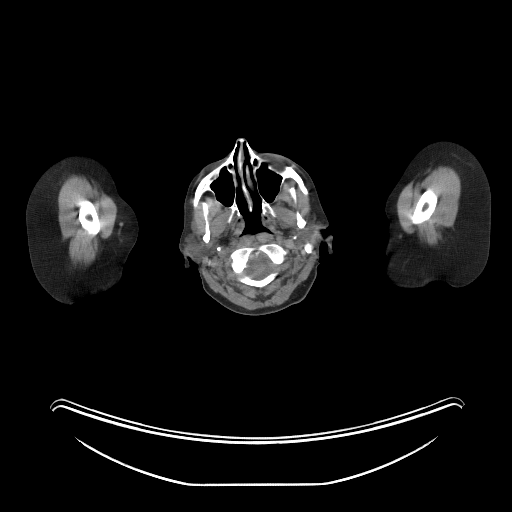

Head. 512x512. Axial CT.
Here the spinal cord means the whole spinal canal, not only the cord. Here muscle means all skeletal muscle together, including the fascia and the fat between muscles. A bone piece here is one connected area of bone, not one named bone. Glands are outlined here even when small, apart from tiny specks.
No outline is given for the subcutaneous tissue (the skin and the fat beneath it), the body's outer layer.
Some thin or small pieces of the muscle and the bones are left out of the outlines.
brain: [[261,254],[263,254],[264,255],[265,255],[266,256],[266,257],[270,261],[270,262],[271,263],[271,264],[273,266],[273,267],[271,270],[269,267],[250,267],[250,266],[249,265],[248,266],[248,267],[248,263],[249,262],[249,260],[252,258],[257,258]]
parotid glands 1: [[190,230],[194,230],[196,232],[196,233],[198,236],[199,241],[201,244],[201,253],[200,254],[199,257],[198,257],[196,255],[195,255],[192,253],[188,253],[184,249],[184,239],[185,238],[186,235],[188,233],[188,232],[189,232],[190,231]]
parotid glands 2: [[311,213],[315,213],[318,216],[318,221],[319,222],[320,222],[320,223],[321,224],[320,225],[320,226],[318,228],[318,229],[317,230],[317,232],[316,233],[316,234],[315,235],[315,238],[314,237],[313,237],[310,234],[310,233],[308,231],[308,216]]
bones 1: [[240,138],[268,163],[278,168],[291,166],[302,178],[308,195],[297,188],[294,202],[286,188],[296,184],[287,179],[280,189],[281,177],[263,163],[256,172],[257,191],[256,187],[249,190],[252,202],[250,211],[241,188],[235,188],[232,176],[223,167],[211,184],[215,197],[223,205],[213,204],[208,208],[210,238],[206,243],[202,239],[205,231],[203,210],[200,202],[195,209],[193,207],[194,192],[201,179],[224,161]]; inner edges: [[244,146],[246,146],[246,148],[247,149],[247,151],[248,152],[248,156],[249,157],[249,158],[248,159],[248,163],[247,164],[246,164],[245,163],[245,155],[244,154]], then [[207,192],[208,192],[209,193],[210,193],[213,196],[212,196],[211,197],[209,197],[208,198],[207,198],[205,200],[203,200],[202,201],[201,201],[201,198],[203,196],[203,195],[205,193],[206,193]]
bones 2: [[265,243],[276,243],[287,250],[287,253],[284,257],[283,262],[277,267],[278,274],[269,283],[262,287],[256,287],[239,281],[238,280],[238,275],[232,270],[230,266],[230,259],[229,258],[229,255],[234,250],[238,248],[244,246],[254,246],[255,247]]; inner edge: [[261,254],[263,254],[266,256],[266,257],[270,261],[273,267],[272,269],[265,276],[264,276],[262,278],[260,278],[259,279],[256,279],[248,275],[245,272],[245,269],[248,266],[248,263],[250,259],[252,258],[257,258]]
bones 3: [[429,187],[432,188],[437,194],[437,202],[436,203],[435,208],[434,209],[432,214],[430,216],[429,219],[424,221],[420,224],[413,224],[408,218],[408,214],[411,213],[413,211],[413,210],[415,207],[415,205],[416,204],[420,195],[427,188],[428,188]]
bones 4: [[81,198],[87,199],[93,203],[96,208],[96,211],[97,212],[98,218],[100,220],[101,223],[103,224],[99,232],[96,235],[94,235],[93,236],[89,235],[85,231],[85,230],[83,228],[82,228],[81,224],[78,220],[79,208],[76,204],[76,202]]
bones 5: [[259,193],[264,198],[264,199],[267,202],[270,202],[271,203],[271,205],[272,206],[272,207],[276,214],[276,215],[274,217],[273,216],[272,216],[268,212],[264,216],[262,216],[261,215],[261,211],[262,210],[261,209],[261,199],[259,196]]
bones 6: [[235,193],[236,193],[236,202],[238,205],[239,211],[241,214],[242,218],[239,218],[236,215],[234,215],[231,221],[230,222],[228,222],[227,221],[227,219],[230,212],[230,210],[228,207],[232,204],[233,200],[234,199],[234,197],[235,196]]
bones 7: [[296,211],[298,211],[300,213],[300,214],[302,216],[302,217],[306,221],[306,224],[304,226],[304,227],[303,228],[299,228],[297,226],[297,220],[296,219],[296,215],[295,214],[296,213]]
right arm: [[76,153],[90,155],[99,160],[107,168],[115,182],[118,193],[131,206],[136,215],[138,233],[135,244],[123,266],[121,279],[113,288],[99,295],[87,297],[71,305],[65,305],[50,296],[34,275],[28,252],[25,211],[30,192],[41,174],[58,159]]
left arm: [[438,140],[455,141],[468,148],[479,160],[486,173],[491,192],[489,255],[481,274],[468,285],[453,287],[443,281],[434,281],[423,288],[404,289],[391,283],[384,272],[384,264],[387,260],[384,246],[387,240],[388,227],[385,203],[416,153],[427,144]]
head: [[238,138],[245,139],[254,151],[281,154],[306,170],[328,220],[322,232],[332,235],[331,254],[325,242],[319,247],[317,274],[306,296],[280,311],[257,316],[233,312],[208,295],[197,264],[189,259],[186,268],[178,247],[189,183],[205,165],[227,156]]; inner edges: [[263,164],[280,177],[279,190],[271,202],[258,193],[261,223],[268,231],[244,233],[245,223],[237,193],[234,193],[231,204],[226,206],[216,197],[212,184],[225,168],[234,188],[240,188],[251,212],[253,202],[250,190],[256,188],[258,191],[257,172]], then [[244,146],[246,146],[246,148],[247,149],[247,151],[248,152],[248,156],[249,157],[249,158],[248,159],[248,163],[247,164],[246,164],[245,163],[245,155],[244,154]]
muscle 1: [[292,166],[308,184],[315,212],[307,216],[307,231],[315,239],[313,267],[281,305],[244,309],[214,292],[205,280],[199,259],[202,244],[197,232],[190,229],[190,197],[193,192],[195,210],[200,203],[204,220],[201,239],[206,244],[211,238],[209,208],[213,205],[228,208],[228,223],[234,216],[242,219],[244,234],[268,232],[262,217],[277,215],[272,202],[287,180],[295,184],[285,188],[294,203],[297,189],[309,195]], around holes outlined by [[265,243],[276,243],[287,250],[287,253],[284,257],[283,262],[277,267],[278,274],[269,283],[262,287],[256,287],[239,281],[238,280],[238,275],[232,270],[230,266],[230,259],[229,258],[229,255],[234,250],[238,248],[244,246],[254,246],[255,247]] and by [[296,211],[298,211],[300,213],[300,214],[302,216],[302,217],[306,221],[306,224],[304,226],[304,227],[303,228],[299,228],[297,226],[297,220],[296,219],[296,215],[295,214],[296,213]] and by [[306,242],[309,242],[310,243],[311,243],[312,244],[312,245],[313,246],[313,248],[312,249],[312,251],[310,253],[307,253],[305,251],[304,251],[304,244]]
muscle 2: [[72,173],[82,174],[89,180],[93,179],[99,187],[114,200],[118,210],[119,222],[121,223],[119,230],[115,231],[107,239],[95,260],[88,266],[74,267],[71,264],[68,259],[66,244],[61,240],[58,223],[57,195],[60,182],[64,177]], around a hole outlined by [[81,198],[87,199],[93,203],[96,208],[96,211],[97,212],[98,218],[100,220],[101,223],[103,224],[99,232],[96,235],[94,235],[93,236],[89,235],[85,231],[85,230],[83,228],[82,228],[81,224],[78,220],[79,208],[76,204],[76,202]]
muscle 3: [[438,165],[450,165],[458,172],[461,179],[461,193],[454,226],[442,241],[440,241],[436,246],[432,247],[420,242],[415,235],[407,234],[402,231],[398,222],[396,202],[401,190],[406,184],[413,179],[421,179],[423,176],[423,172],[428,167],[434,168]], around a hole outlined by [[429,187],[432,188],[437,194],[437,202],[436,203],[435,208],[434,209],[432,214],[430,216],[429,219],[424,221],[420,224],[413,224],[408,218],[408,214],[411,213],[413,211],[413,210],[415,207],[415,205],[416,204],[420,195],[427,188],[428,188]]
spinal cord: [[249,266],[249,267],[250,268],[269,268],[269,269],[270,270],[270,271],[265,276],[264,276],[262,278],[260,278],[259,279],[256,279],[255,278],[253,278],[252,277],[251,277],[249,275],[248,275],[245,272],[245,269],[247,267],[248,268],[249,267]]